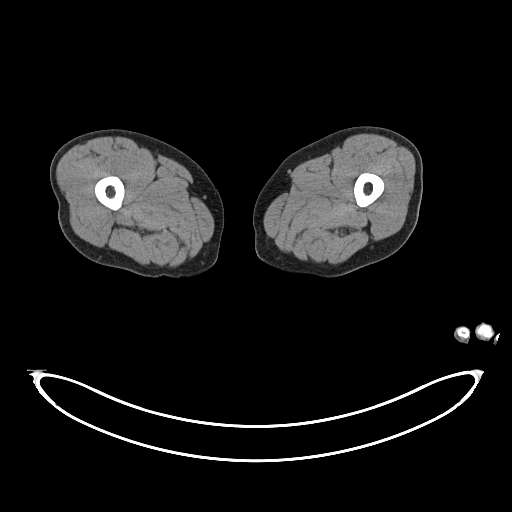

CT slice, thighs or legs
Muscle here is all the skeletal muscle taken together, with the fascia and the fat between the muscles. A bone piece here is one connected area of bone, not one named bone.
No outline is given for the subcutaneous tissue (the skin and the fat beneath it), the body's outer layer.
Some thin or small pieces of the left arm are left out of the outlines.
Outlines:
muscle 1: 100,136 130,138 138,145 159,151 184,164 189,169 202,190 214,219 213,234 197,263 184,268 146,267 116,251 95,247 81,239 73,231 69,222 69,206 56,180 56,167 60,158 71,147 81,140; inner edge: 109,175 115,175 117,176 122,181 124,185 124,196 122,200 122,203 121,204 121,206 116,210 113,210 102,204 97,199 95,195 95,193 94,192 94,187 95,186 96,182 101,178 105,177 106,176 108,176
muscle 2: 358,133 383,135 406,147 413,154 415,159 413,191 408,203 405,221 400,230 385,239 378,246 359,254 345,264 337,267 311,266 275,256 267,247 263,216 267,205 283,181 290,166 300,160 316,157 347,137 with a hole at 363,172 370,172 371,173 374,173 378,175 383,180 383,182 384,183 384,189 382,193 373,202 365,207 361,207 357,204 355,200 355,197 354,196 354,193 353,192 353,187 354,186 355,180 356,178 361,173
right leg: 108,128 132,130 162,140 192,158 208,175 221,196 224,208 224,226 218,257 208,270 193,277 176,279 166,276 145,277 95,263 80,254 65,238 58,223 58,203 49,179 51,160 55,152 68,140 86,132
left leg: 360,125 380,126 394,130 408,138 417,147 421,155 423,164 422,198 416,226 407,241 395,253 381,261 332,278 304,273 287,273 264,263 257,256 254,249 252,214 256,198 266,181 280,163 294,151 337,130
left arm 1: 480,322 484,322 486,324 489,324 491,326 491,327 494,331 494,333 493,334 493,337 492,336 488,340 488,341 483,341 482,340 477,339 477,338 475,335 476,334 475,333 475,329 476,328 476,326
left arm 2: 460,326 465,326 466,327 467,327 468,328 468,329 469,330 469,341 467,343 461,343 460,342 458,342 454,338 454,336 453,335 453,333 454,332 454,331 456,329 456,328 457,328 458,327 459,327
bones 1: 363,172 370,172 371,173 374,173 378,175 383,180 383,182 384,183 384,189 382,193 373,202 365,207 361,207 357,204 355,200 355,197 354,196 354,193 353,192 353,187 354,186 355,180 356,178 361,173
bones 2: 109,175 115,175 117,176 122,181 124,185 124,196 122,200 122,203 121,204 121,206 116,210 113,210 102,204 97,199 95,195 95,193 94,192 94,187 95,186 96,182 101,178 105,177 106,176 108,176
bones 3: 482,323 485,323 486,324 488,324 491,326 491,327 492,328 492,331 493,332 493,335 491,337 490,337 489,338 488,338 487,337 483,337 482,336 479,335 476,332 476,329 478,327 478,326 479,326
bones 4: 460,326 465,326 466,327 467,327 468,328 468,329 469,330 469,336 467,338 463,338 462,337 461,337 460,336 459,336 457,334 457,333 456,332 456,328 457,328 458,327 459,327